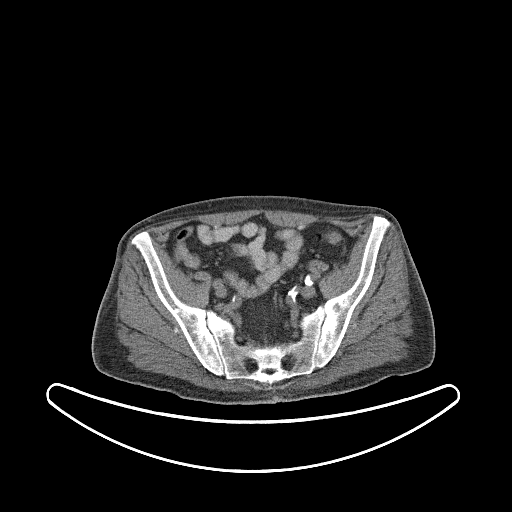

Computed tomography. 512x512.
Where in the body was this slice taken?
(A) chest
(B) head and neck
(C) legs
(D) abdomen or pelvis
(D) abdomen or pelvis
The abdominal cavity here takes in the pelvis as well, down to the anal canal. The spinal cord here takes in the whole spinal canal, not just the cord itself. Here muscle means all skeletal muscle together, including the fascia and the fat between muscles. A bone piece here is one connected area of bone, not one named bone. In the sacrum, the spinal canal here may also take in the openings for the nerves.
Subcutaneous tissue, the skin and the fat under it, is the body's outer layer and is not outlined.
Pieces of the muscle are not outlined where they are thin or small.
{"bones":[[[375,215],[385,217],[390,225],[381,241],[370,284],[355,306],[335,354],[308,374],[271,384],[228,379],[202,365],[158,297],[146,263],[131,243],[136,234],[147,231],[175,295],[190,306],[229,320],[239,344],[261,347],[298,340],[302,317],[353,284]]],"muscle":[[[249,209],[341,217],[381,215],[372,217],[356,278],[347,289],[327,299],[320,291],[319,281],[335,267],[340,268],[348,262],[358,239],[339,225],[327,221],[280,225],[259,213],[235,222],[191,220],[172,228],[164,249],[176,268],[189,274],[194,282],[209,285],[206,309],[190,305],[176,295],[150,233],[147,230],[136,233],[130,243],[141,255],[157,297],[205,369],[228,380],[246,379],[271,385],[324,367],[336,354],[353,312],[371,284],[379,250],[391,222],[398,234],[407,268],[407,307],[412,319],[412,333],[405,339],[407,355],[317,387],[274,392],[210,389],[185,379],[142,370],[127,360],[128,350],[116,335],[116,293],[129,238],[141,228],[158,226],[176,218]]],"torso":[[[232,195],[292,195],[375,206],[390,212],[400,224],[431,308],[435,329],[435,356],[431,365],[414,373],[391,376],[345,393],[250,405],[216,404],[184,399],[167,391],[128,383],[100,372],[92,359],[92,333],[122,235],[136,222],[164,209]]],"spinal_cord":[[[266,369],[273,369],[274,370],[275,370],[275,371],[274,371],[273,372],[272,372],[271,373],[267,373],[266,372],[264,372],[263,371],[264,370],[265,370]]],"abdominal_cavity":[[[259,214],[280,226],[327,222],[357,236],[347,262],[335,266],[318,281],[319,291],[326,300],[301,317],[299,338],[261,346],[241,344],[236,340],[232,322],[207,309],[210,285],[194,281],[189,273],[176,267],[165,249],[170,231],[188,222],[235,223]]]}